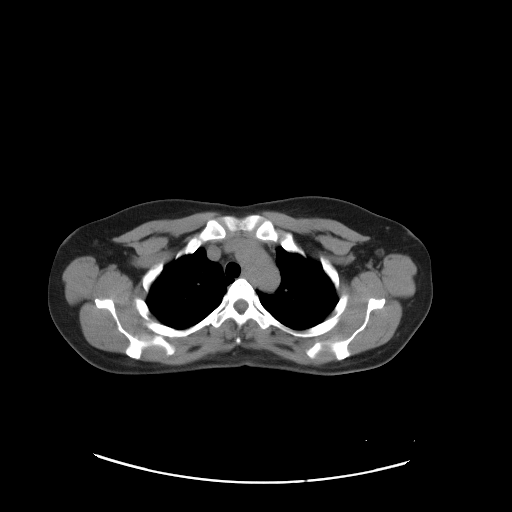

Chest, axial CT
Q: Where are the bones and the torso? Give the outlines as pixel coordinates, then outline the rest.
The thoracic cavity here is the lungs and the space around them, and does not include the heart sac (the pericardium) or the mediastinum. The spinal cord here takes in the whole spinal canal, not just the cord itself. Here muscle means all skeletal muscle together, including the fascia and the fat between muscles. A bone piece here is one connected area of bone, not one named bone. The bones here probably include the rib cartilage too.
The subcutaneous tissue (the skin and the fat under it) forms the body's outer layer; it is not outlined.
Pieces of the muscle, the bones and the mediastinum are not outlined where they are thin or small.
A: {"bones":[{"outer":[[239,277],[250,283],[269,313],[295,330],[329,317],[346,293],[347,303],[337,323],[317,336],[294,336],[273,325],[262,329],[251,318],[238,328],[227,318],[218,327],[209,324],[186,336],[165,336],[175,347],[171,355],[163,347],[151,345],[135,359],[125,353],[129,341],[110,311],[98,308],[94,301],[110,298],[122,327],[139,339],[147,339],[155,334],[138,312],[136,297],[145,301],[152,320],[186,329],[215,309]],"hole":[[238,300],[243,300],[244,301],[245,301],[247,303],[247,307],[242,312],[239,312],[234,307],[234,304],[235,303],[235,302],[236,302]]},[[249,214],[258,214],[269,219],[280,232],[290,232],[304,251],[305,256],[287,251],[277,242],[258,239],[254,236],[253,231],[231,232],[228,230],[225,238],[208,240],[192,253],[175,258],[177,252],[205,226],[209,219],[217,219],[224,215],[243,217]],[[371,297],[384,298],[385,302],[381,308],[373,309],[370,312],[365,327],[358,332],[348,344],[350,352],[348,357],[337,360],[334,353],[327,345],[324,345],[314,358],[306,354],[305,351],[317,341],[342,340],[350,336],[362,324],[367,309],[367,303]],[[160,261],[162,261],[164,264],[163,266],[163,268],[161,272],[157,276],[157,277],[151,284],[149,288],[149,290],[148,292],[146,293],[143,288],[143,285],[142,284],[142,278],[144,274],[151,267],[152,267],[155,264],[158,263]],[[322,255],[324,256],[331,263],[331,264],[336,269],[338,273],[338,276],[339,277],[339,287],[337,290],[336,290],[330,278],[326,274],[326,273],[323,270],[322,268],[321,263],[319,260],[319,258],[320,256]]],"torso":[[[299,195],[344,199],[396,220],[416,235],[429,252],[433,283],[430,309],[404,347],[381,366],[338,375],[314,375],[250,366],[147,375],[116,374],[84,360],[54,325],[47,305],[49,271],[60,243],[77,227],[128,206],[156,199],[187,198],[245,205]]],"mediastinum":[[[237,236],[250,237],[279,245],[275,251],[275,263],[280,273],[280,283],[274,293],[267,294],[257,289],[256,291],[251,283],[244,277],[239,276],[234,279],[225,275],[220,264],[216,261],[210,260],[207,257],[206,251],[201,246],[202,245],[223,241]]],"thoracic_cavity":[[[201,247],[205,251],[206,257],[210,261],[218,263],[224,275],[233,280],[227,286],[226,291],[222,296],[219,304],[199,321],[186,328],[175,328],[164,324],[159,321],[151,312],[146,302],[150,288],[166,264],[174,259],[178,259],[183,255],[192,254]],[[280,246],[287,252],[296,253],[303,257],[308,256],[319,261],[322,270],[332,283],[338,297],[334,307],[327,317],[322,321],[303,329],[292,328],[277,319],[263,306],[257,293],[257,290],[267,295],[274,294],[281,283],[281,273],[276,263],[276,251]]],"spinal_cord":[[[238,300],[243,300],[244,301],[245,301],[247,303],[247,307],[242,312],[239,312],[234,307],[234,304],[235,303],[235,302],[236,302]]],"muscle":[[[263,210],[334,219],[369,236],[351,249],[354,259],[344,268],[349,277],[364,270],[379,270],[387,254],[408,255],[417,267],[416,289],[403,304],[394,335],[380,346],[350,356],[349,344],[366,327],[371,312],[386,302],[384,297],[371,296],[361,324],[350,335],[317,340],[304,351],[314,359],[327,346],[337,361],[300,364],[267,350],[240,345],[179,365],[141,360],[143,350],[151,346],[163,348],[167,356],[174,354],[176,347],[165,337],[186,337],[209,325],[218,328],[227,319],[232,319],[238,329],[251,319],[262,330],[273,326],[300,338],[320,336],[338,323],[349,295],[337,294],[337,269],[322,254],[318,260],[307,255],[290,231],[278,230],[269,218],[255,213]],[[204,211],[224,214],[209,218],[173,259],[165,264],[160,260],[141,278],[147,295],[145,300],[136,296],[133,302],[144,325],[154,334],[147,338],[132,334],[123,327],[114,301],[95,297],[95,306],[109,311],[128,344],[122,354],[88,343],[80,328],[78,310],[68,304],[64,295],[62,274],[66,266],[79,256],[90,255],[100,268],[115,264],[122,272],[135,276],[138,271],[130,264],[131,252],[113,237],[147,221]]]}